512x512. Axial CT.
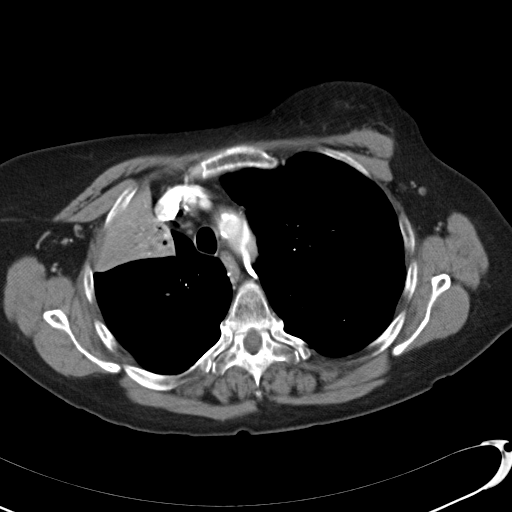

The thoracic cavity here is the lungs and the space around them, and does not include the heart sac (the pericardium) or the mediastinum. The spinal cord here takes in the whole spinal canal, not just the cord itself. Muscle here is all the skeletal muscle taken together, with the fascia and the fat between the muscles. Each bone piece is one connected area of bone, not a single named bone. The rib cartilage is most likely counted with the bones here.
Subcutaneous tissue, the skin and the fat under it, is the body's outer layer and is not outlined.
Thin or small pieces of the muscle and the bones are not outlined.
The spinal cord is outlined by 251 329; 253 329; 255 331; 256 331; 256 332; 259 335; 259 336; 260 337; 260 347; 255 353; 251 353; 250 352; 249 352; 245 348; 245 345; 244 344; 244 340; 245 339; 245 338; 248 335; 248 333; 249 332; 249 331. The mediastinum is outlined by 184 171; 187 171; 186 179; 221 175; 220 182; 225 191; 245 208; 248 224; 256 238; 258 256; 252 268; 259 283; 247 279; 233 295; 232 284; 222 262; 215 256; 198 251; 191 239; 174 228; 169 229; 154 214; 150 191; 152 181. The muscle is outlined by 363 127; 394 139; 388 186; 410 220; 397 217; 370 173; 341 149; 323 145; 279 160; 251 143; 235 143; 187 170; 163 174; 137 193; 136 185; 127 186; 105 216; 95 264; 84 265; 83 291; 101 313; 103 321; 93 320; 101 342; 112 352; 119 344; 137 365; 92 354; 77 340; 60 308; 44 310; 42 318; 64 331; 103 370; 123 371; 151 390; 171 390; 197 370; 223 375; 233 366; 244 369; 258 388; 274 362; 297 364; 314 352; 340 358; 364 348; 373 349; 373 357; 385 350; 406 319; 404 309; 395 316; 398 302; 401 296; 412 297; 418 281; 417 261; 407 267; 405 262; 405 253; 415 248; 412 223; 421 237; 443 236; 447 217; 457 211; 472 222; 488 259; 487 272; 471 293; 467 319; 457 332; 398 357; 387 381; 368 393; 322 405; 265 399; 257 412; 225 420; 173 412; 130 401; 111 375; 59 373; 8 320; 3 288; 14 260; 34 255; 49 277; 60 271; 73 280; 79 273; 93 226; 51 219; 109 167; 141 155, around a hole outlined by 441 273; 445 273; 450 277; 451 283; 449 287; 443 291; 434 301; 430 310; 429 319; 418 335; 400 354; 395 356; 393 355; 391 352; 393 347; 395 345; 407 339; 415 331; 424 318; 426 312; 427 304; 432 292; 431 278; 433 276. The torso is outlined by 333 79; 367 81; 393 94; 415 119; 431 151; 479 185; 511 224; 511 328; 480 355; 429 390; 365 415; 289 431; 252 435; 241 430; 225 436; 156 434; 110 423; 66 403; 0 355; 0 162; 91 138; 244 120; 265 112; 299 87. The thoracic cavity appears in 2 outlined pieces: piece 1: 304 151; 318 152; 343 162; 371 179; 389 201; 403 242; 406 274; 394 317; 365 347; 340 357; 322 355; 301 338; 285 331; 283 320; 270 307; 253 268; 259 249; 246 208; 229 195; 221 182; 225 173; 244 168; 275 169; 281 160; piece 2: 148 184; 150 184; 153 214; 169 230; 174 229; 191 240; 198 252; 217 258; 223 265; 232 288; 233 298; 225 317; 219 324; 218 339; 194 363; 178 373; 157 373; 139 366; 107 327; 94 291; 95 270; 93 269; 107 232; 135 194. The bones appear in 10 outlined pieces: piece 1: 247 280; 260 285; 284 331; 314 351; 297 363; 274 361; 258 387; 244 368; 233 365; 223 374; 197 369; 171 389; 151 389; 123 370; 103 369; 64 330; 43 318; 44 311; 60 309; 79 344; 101 360; 178 374; 219 339; 220 324 with a hole at 251 329; 253 329; 255 331; 256 331; 256 332; 259 335; 259 336; 260 337; 260 347; 255 353; 251 353; 250 352; 249 352; 245 348; 245 345; 244 344; 244 340; 245 339; 245 338; 248 335; 248 333; 249 332; 249 331; piece 2: 240 143; 251 144; 260 148; 270 156; 275 157; 279 161; 279 164; 275 168; 263 169; 256 167; 244 167; 234 171; 228 171; 216 176; 210 176; 206 178; 199 176; 186 178; 185 177; 189 168; 198 164; 202 160; 213 155; 221 149; piece 3: 441 273; 445 273; 450 277; 451 283; 449 287; 443 291; 434 301; 430 310; 429 319; 418 335; 400 354; 395 356; 393 355; 391 352; 393 347; 395 345; 407 339; 415 331; 424 318; 426 312; 427 304; 432 292; 431 278; 433 276; piece 4: 402 310; 404 310; 405 311; 405 319; 400 331; 398 333; 394 340; 385 349; 384 349; 376 355; 370 356; 370 354; 372 352; 372 351; 374 350; 374 349; 373 348; 367 348; 366 347; 384 331; 384 330; 389 325; 392 320; piece 5: 130 186; 131 187; 133 187; 134 186; 136 186; 137 187; 134 195; 131 198; 129 203; 125 209; 113 220; 111 225; 109 227; 106 233; 104 230; 104 223; 108 212; 112 207; 114 202; 118 196; 123 191; 123 190; 127 187; 129 187; piece 6: 323 146; 334 148; 338 150; 341 150; 351 156; 363 166; 363 167; 369 173; 370 175; 370 178; 367 177; 361 172; 360 172; 352 166; 347 164; 345 162; 338 160; 328 155; 326 155; 323 153; 319 152; 318 151; 318 147; 322 147; piece 7: 402 215; 406 216; 408 218; 411 223; 411 225; 413 229; 413 233; 414 234; 414 248; 413 249; 413 251; 411 253; 410 252; 405 252; 405 249; 404 248; 403 237; 401 233; 401 230; 400 229; 399 222; 398 221; 399 217; piece 8: 413 260; 416 261; 417 263; 417 281; 416 282; 416 285; 411 297; 409 299; 407 299; 402 295; 402 292; 403 291; 404 285; 405 284; 405 280; 406 279; 406 275; 407 274; 407 268; 410 264; 411 261; piece 9: 95 319; 97 319; 103 322; 105 324; 106 327; 110 331; 110 332; 113 335; 113 336; 117 341; 118 343; 118 345; 116 347; 114 351; 112 351; 108 349; 102 342; 101 339; 97 334; 95 330; 95 328; 94 327; 94 320; piece 10: 86 264; 89 264; 90 267; 93 271; 93 287; 94 288; 93 289; 93 291; 94 292; 95 301; 92 303; 91 303; 88 300; 88 299; 85 294; 85 292; 84 291; 84 286; 83 285; 83 275; 84 274; 84 269; 85 268; 85 265.